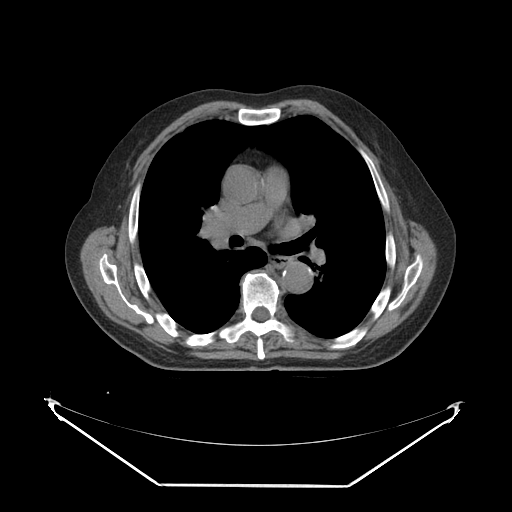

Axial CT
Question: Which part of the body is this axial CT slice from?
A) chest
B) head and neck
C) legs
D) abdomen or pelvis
Answer: A) chest
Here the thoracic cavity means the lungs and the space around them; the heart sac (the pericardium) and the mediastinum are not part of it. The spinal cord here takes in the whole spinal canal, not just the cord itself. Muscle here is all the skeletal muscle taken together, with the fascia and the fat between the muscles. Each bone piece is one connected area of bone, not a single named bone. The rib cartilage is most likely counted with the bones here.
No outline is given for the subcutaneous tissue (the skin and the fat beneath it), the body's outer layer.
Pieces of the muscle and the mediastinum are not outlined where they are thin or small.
bones 1: [[249,271],[265,272],[277,282],[285,321],[293,327],[293,341],[286,341],[276,330],[263,334],[264,359],[258,358],[257,337],[249,330],[232,343],[216,335],[215,340],[206,345],[187,345],[184,342],[187,336],[205,334],[230,322],[241,300],[240,281]], around a hole outlined by [[257,307],[264,307],[268,311],[268,313],[269,314],[269,317],[267,319],[266,319],[265,320],[264,320],[263,321],[258,321],[257,320],[256,320],[255,319],[254,319],[253,318],[253,317],[252,316],[252,313],[253,312],[253,311]]
bones 2: [[104,253],[107,255],[108,261],[114,264],[117,268],[116,274],[118,283],[127,300],[153,316],[157,312],[166,312],[177,323],[178,336],[174,337],[170,335],[155,319],[152,323],[148,323],[142,315],[125,303],[114,284],[106,283],[103,280],[98,262]]
bones 3: [[417,254],[421,256],[423,264],[415,283],[410,287],[404,299],[397,307],[391,310],[386,307],[379,316],[373,320],[373,315],[369,312],[369,310],[379,292],[382,288],[390,286],[391,291],[388,301],[390,302],[395,298],[401,291],[405,270],[415,260]]
bones 4: [[242,107],[244,107],[245,108],[258,108],[259,109],[260,108],[271,108],[272,107],[278,107],[280,108],[281,112],[280,113],[280,117],[279,119],[275,122],[269,123],[268,124],[260,124],[259,125],[245,125],[240,123],[237,119],[237,112],[238,110]]
bones 5: [[138,182],[140,182],[141,183],[141,189],[140,190],[140,196],[139,197],[139,206],[138,207],[137,238],[135,242],[132,245],[129,241],[129,236],[128,235],[128,216],[129,215],[129,207],[130,206],[131,199],[133,195],[134,188],[136,184]]
bones 6: [[358,148],[362,149],[367,154],[367,155],[372,160],[375,166],[375,168],[381,179],[381,181],[383,184],[383,186],[385,189],[385,191],[388,198],[388,201],[389,202],[389,212],[386,212],[382,209],[382,206],[379,200],[371,173],[365,160],[357,150]]
bones 7: [[357,326],[366,326],[367,327],[367,331],[366,333],[363,336],[363,337],[356,344],[352,346],[347,347],[346,348],[336,348],[335,349],[332,349],[328,347],[328,345],[332,341],[331,340],[332,339],[336,337],[338,337],[341,335],[343,335],[351,331]]
bones 8: [[135,262],[137,262],[142,265],[144,269],[144,271],[146,274],[146,276],[148,279],[148,281],[150,284],[151,290],[149,292],[149,300],[147,300],[144,297],[137,284],[136,278],[135,277],[135,273],[134,272],[134,267],[133,266]]
bones 9: [[388,232],[391,232],[392,233],[392,234],[393,235],[393,238],[394,239],[394,243],[395,244],[395,264],[394,265],[394,267],[393,268],[393,269],[392,270],[387,265],[387,264],[386,263],[386,259],[385,258],[385,246],[386,245],[386,234]]
thoracic cavity 1: [[211,118],[245,126],[265,125],[227,160],[219,176],[216,205],[224,220],[226,247],[232,250],[256,247],[265,254],[266,261],[241,276],[239,304],[227,323],[205,333],[192,333],[166,311],[152,289],[140,252],[139,207],[142,185],[157,152],[188,126]]
thoracic cavity 2: [[302,114],[323,121],[360,154],[384,222],[386,270],[382,286],[358,325],[333,338],[314,335],[287,316],[285,297],[304,294],[314,283],[314,272],[299,259],[304,253],[292,244],[308,229],[302,213],[294,209],[287,166],[275,154],[251,146],[271,124]]
mediastinum 1: [[290,192],[293,209],[301,213],[307,229],[291,244],[296,252],[303,253],[298,259],[313,272],[313,283],[304,293],[287,294],[282,304],[278,282],[265,271],[250,270],[263,266],[266,254],[256,246],[227,247],[224,217],[248,235],[267,233],[284,220]]
mediastinum 2: [[256,138],[250,145],[251,147],[264,150],[275,155],[279,158],[286,166],[279,162],[276,162],[272,158],[264,157],[260,155],[247,154],[237,159],[231,165],[227,166],[222,173],[224,168],[226,166],[228,160],[229,160],[238,150],[247,146]]
torso: [[296,84],[341,91],[371,110],[396,135],[443,203],[456,232],[456,258],[440,304],[400,354],[369,368],[188,371],[163,369],[142,361],[118,345],[89,316],[65,268],[68,228],[88,200],[97,173],[130,128],[148,111],[172,98],[206,88],[259,93]]
muscle 1: [[216,100],[236,101],[252,107],[240,107],[236,112],[237,121],[223,117],[202,119],[168,139],[151,160],[142,184],[140,181],[135,184],[128,207],[128,241],[132,246],[138,240],[141,257],[141,263],[135,261],[132,266],[136,284],[147,301],[153,290],[165,311],[153,315],[130,302],[120,286],[118,268],[105,252],[98,259],[98,269],[102,280],[114,285],[124,303],[148,324],[155,320],[174,338],[180,335],[178,326],[181,326],[191,333],[183,341],[189,347],[206,346],[213,343],[216,336],[232,344],[249,331],[256,337],[258,360],[197,359],[176,355],[111,320],[87,286],[79,256],[90,232],[101,226],[114,225],[122,217],[133,167],[140,154],[164,128],[185,112]]
muscle 2: [[299,98],[319,102],[352,129],[379,159],[402,213],[426,229],[438,251],[434,278],[408,319],[398,329],[359,353],[335,359],[265,358],[262,336],[276,331],[286,342],[292,343],[295,332],[294,327],[286,321],[287,317],[314,336],[331,339],[327,345],[329,349],[352,347],[368,331],[366,325],[359,325],[368,312],[374,321],[386,308],[389,311],[397,308],[416,283],[424,263],[419,253],[415,255],[404,270],[400,291],[389,301],[392,288],[390,285],[382,287],[387,266],[392,271],[396,264],[396,244],[393,233],[386,233],[385,229],[383,211],[390,212],[390,202],[382,179],[373,160],[362,148],[356,149],[317,116],[302,113],[280,119],[280,107],[262,107],[285,99]]
pericardium: [[247,155],[260,156],[264,158],[272,159],[276,163],[281,164],[287,168],[290,180],[289,192],[290,201],[283,220],[278,227],[267,232],[258,234],[248,234],[237,229],[229,223],[225,218],[220,211],[219,206],[220,177],[227,167],[231,166],[237,160]]
spinal cord: [[257,307],[264,307],[268,311],[268,313],[269,314],[269,317],[267,319],[266,319],[265,320],[264,320],[263,321],[258,321],[257,320],[256,320],[255,319],[254,319],[253,318],[253,317],[252,316],[252,313],[253,312],[253,311]]